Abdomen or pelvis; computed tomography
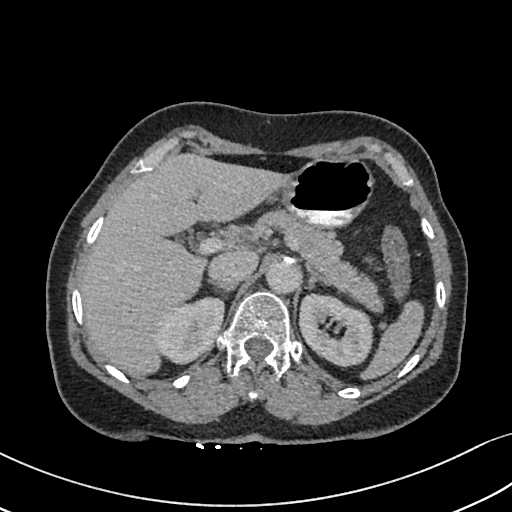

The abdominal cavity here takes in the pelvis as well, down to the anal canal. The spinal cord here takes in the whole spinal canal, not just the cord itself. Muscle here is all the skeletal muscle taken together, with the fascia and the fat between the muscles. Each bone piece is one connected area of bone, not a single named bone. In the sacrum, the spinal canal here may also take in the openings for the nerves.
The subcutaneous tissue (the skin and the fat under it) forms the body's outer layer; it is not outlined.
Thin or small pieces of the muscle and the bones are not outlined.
Outlines (x, y in pixels):
bones 1: (260, 290) (267, 290) (283, 301) (289, 313) (291, 338) (299, 341) (302, 346) (301, 362) (292, 360) (278, 380) (270, 365) (265, 365) (255, 372) (242, 365) (237, 375) (229, 376) (226, 372) (226, 350) (220, 350) (216, 346) (218, 336) (229, 326) (240, 302) (244, 297); inner edge: (255, 337) (259, 337) (265, 340) (267, 340) (272, 345) (273, 347) (272, 348) (272, 350) (260, 361) (255, 361) (248, 354) (244, 346) (245, 344) (245, 342) (246, 341) (247, 341) (251, 338) (254, 338)
bones 2: (185, 130) (195, 131) (196, 134) (194, 136) (189, 138) (182, 138) (179, 143) (173, 149) (171, 149) (168, 151) (153, 166) (151, 170) (148, 170) (135, 174) (130, 173) (131, 168) (140, 158) (146, 156) (157, 147) (166, 142) (170, 138) (174, 136) (177, 136) (181, 132)
bones 3: (366, 143) (376, 143) (381, 146) (385, 150) (389, 151) (405, 166) (408, 173) (412, 177) (414, 181) (414, 184) (412, 186) (407, 186) (405, 185) (400, 176) (397, 173) (396, 170) (394, 169) (379, 153) (375, 151) (370, 151) (368, 150) (366, 148) (365, 145)
bones 4: (75, 288) (78, 289) (78, 290) (80, 293) (80, 296) (81, 297) (81, 308) (82, 309) (82, 324) (79, 324) (77, 322) (77, 321) (75, 318) (75, 315) (74, 314) (74, 312) (73, 311) (73, 308) (72, 307) (72, 302) (71, 301) (71, 296) (72, 295) (72, 291)
bones 5: (101, 215) (102, 215) (104, 217) (104, 218) (103, 219) (103, 222) (101, 225) (101, 227) (100, 228) (94, 241) (91, 244) (88, 244) (86, 241) (86, 237) (87, 236) (87, 234) (89, 231) (89, 229) (92, 225) (92, 224) (95, 221) (95, 220) (99, 216) (100, 216)
bones 6: (438, 280) (441, 280) (443, 282) (443, 283) (444, 284) (444, 288) (445, 289) (445, 301) (444, 302) (444, 305) (443, 306) (443, 307) (441, 309) (440, 308) (439, 308) (436, 305) (436, 301) (435, 300) (435, 285) (436, 284) (436, 282)
bones 7: (415, 353) (419, 353) (421, 355) (421, 356) (420, 357) (420, 359) (418, 361) (418, 362) (407, 373) (406, 373) (404, 375) (403, 375) (401, 377) (397, 377) (397, 374) (399, 372) (399, 371) (405, 365) (405, 364) (408, 361) (408, 360)
bones 8: (106, 363) (108, 363) (109, 364) (114, 366) (118, 370) (119, 370) (121, 372) (122, 372) (129, 379) (129, 383) (125, 383) (124, 382) (117, 379) (115, 377) (114, 377) (112, 375) (111, 375) (107, 371) (107, 370) (105, 368) (105, 367) (104, 366) (104, 365)
bones 9: (421, 216) (424, 216) (427, 219) (427, 220) (431, 225) (431, 226) (432, 227) (432, 229) (433, 230) (433, 232) (434, 233) (434, 238) (433, 239) (429, 239) (425, 235) (425, 234) (423, 232) (423, 231) (422, 230) (422, 228) (421, 227) (421, 224) (420, 223) (420, 217)
bones 10: (187, 374) (190, 375) (190, 378) (189, 379) (188, 382) (183, 387) (181, 387) (180, 388) (177, 388) (176, 387) (174, 387) (171, 384) (171, 383) (173, 381) (173, 380) (174, 379) (175, 379) (176, 378) (177, 378) (180, 376) (182, 376) (183, 375) (186, 375)
abdominal cavity: (184, 141) (229, 155) (315, 158) (375, 152) (395, 170) (418, 207) (435, 280) (431, 321) (400, 369) (362, 386) (336, 378) (292, 334) (287, 305) (267, 289) (244, 296) (215, 345) (176, 375) (128, 377) (100, 355) (83, 319) (80, 288) (88, 254) (122, 188)
muscle: (188, 124) (201, 126) (222, 138) (234, 142) (249, 144) (254, 147) (271, 151) (285, 151) (301, 146) (306, 146) (311, 144) (339, 140) (340, 139) (348, 139) (357, 136) (372, 136) (388, 143) (395, 148) (414, 170) (425, 192) (425, 194) (435, 211) (437, 218) (444, 231) (447, 240) (448, 254) (451, 262) (451, 270) (452, 271) (450, 276) (452, 290) (448, 306) (448, 313) (446, 318) (447, 323) (444, 332) (443, 347) (440, 356) (435, 363) (396, 390) (382, 398) (339, 420) (315, 426) (292, 424) (289, 421) (279, 419) (266, 411) (261, 404) (258, 402) (256, 403) (247, 402) (240, 405) (234, 412) (222, 418) (219, 421) (213, 421) (205, 424) (186, 424) (181, 422) (176, 422) (157, 414) (151, 410) (145, 409) (141, 405) (126, 397) (81, 368) (77, 364) (70, 353) (69, 344) (67, 339) (67, 332) (66, 331) (66, 320) (67, 319) (66, 314) (66, 282) (68, 278) (70, 264) (72, 260) (72, 255) (74, 253) (75, 243) (79, 237) (79, 234) (81, 230) (80, 223) (86, 213) (95, 204) (98, 198) (104, 191) (106, 186) (135, 156) (140, 155) (147, 147) (170, 130) (178, 126); inner edges: (185, 130) (196, 134) (180, 143) (229, 155) (315, 158) (376, 143) (405, 166) (445, 289) (407, 373) (346, 398) (337, 392) (351, 386) (303, 346) (301, 362) (276, 380) (270, 365) (229, 376) (215, 345) (170, 377) (125, 383) (107, 371) (71, 301) (86, 237) (135, 163), then (187, 374) (190, 375) (190, 378) (189, 379) (188, 382) (183, 387) (181, 387) (180, 388) (177, 388) (176, 387) (174, 387) (171, 384) (171, 383) (173, 381) (173, 380) (174, 379) (175, 379) (176, 378) (177, 378) (180, 376) (182, 376) (183, 375) (186, 375), then (251, 390) (256, 390) (257, 391) (257, 392) (258, 393) (258, 397) (257, 398) (256, 398) (255, 399) (250, 399) (250, 398) (249, 397) (249, 396) (248, 395) (248, 393) (249, 392) (249, 391) (250, 391)
torso: (184, 101) (219, 102) (267, 113) (361, 111) (396, 123) (424, 147) (462, 236) (468, 263) (459, 372) (433, 408) (377, 437) (304, 445) (257, 441) (197, 445) (159, 437) (122, 441) (94, 431) (67, 409) (55, 384) (45, 328) (45, 284) (54, 238) (120, 138) (146, 115)
spinal cord: (255, 337) (259, 337) (265, 340) (267, 340) (272, 345) (273, 347) (272, 348) (272, 350) (260, 361) (255, 361) (248, 354) (244, 346) (245, 344) (245, 342) (246, 341) (247, 341) (251, 338) (254, 338)